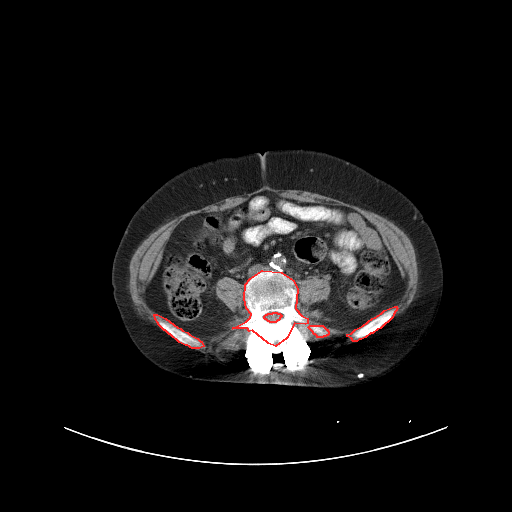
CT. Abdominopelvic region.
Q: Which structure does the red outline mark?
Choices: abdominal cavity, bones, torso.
A: red: bones.
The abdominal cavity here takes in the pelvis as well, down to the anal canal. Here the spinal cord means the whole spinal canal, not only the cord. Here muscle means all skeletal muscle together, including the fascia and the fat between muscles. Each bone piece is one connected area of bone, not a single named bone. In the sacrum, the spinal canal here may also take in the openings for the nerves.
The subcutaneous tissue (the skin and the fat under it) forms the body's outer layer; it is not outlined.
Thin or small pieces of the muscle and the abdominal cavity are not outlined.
Outlines:
bones 1: (262, 270) (281, 272) (293, 280) (297, 289) (295, 308) (301, 315) (307, 318) (307, 323) (305, 324) (294, 323) (286, 338) (275, 346) (268, 343) (252, 330) (249, 331) (247, 328) (232, 328) (246, 321) (250, 317) (251, 314) (246, 308) (244, 298) (245, 284) (250, 278) with a hole at (273, 312) (276, 312) (277, 313) (279, 313) (281, 315) (281, 316) (279, 318) (279, 319) (278, 320) (277, 320) (275, 322) (270, 322) (269, 321) (268, 321) (266, 319) (265, 319) (264, 318) (264, 316) (266, 314) (267, 314) (268, 313) (272, 313)
bones 2: (394, 306) (396, 306) (397, 308) (393, 314) (392, 317) (380, 328) (377, 329) (372, 333) (370, 333) (365, 337) (361, 339) (359, 339) (356, 341) (353, 341) (351, 338) (347, 336) (347, 334) (351, 333) (355, 329) (363, 325) (372, 318) (375, 317) (381, 313) (384, 310)
bones 3: (154, 314) (157, 314) (165, 318) (177, 327) (180, 328) (182, 330) (187, 332) (189, 334) (197, 338) (200, 341) (201, 341) (203, 346) (199, 348) (192, 348) (187, 345) (185, 345) (179, 342) (170, 334) (169, 334) (165, 330) (164, 330) (158, 324) (158, 323) (155, 319)
bones 4: (310, 325) (322, 325) (326, 329) (327, 329) (327, 330) (328, 331) (328, 334) (327, 335) (326, 335) (325, 336) (323, 336) (322, 337) (317, 337) (317, 336) (315, 334) (314, 334) (313, 333) (313, 332) (308, 327)
abdominal cavity: (263, 191) (357, 211) (377, 229) (405, 279) (401, 294) (351, 326) (310, 308) (328, 298) (328, 274) (308, 275) (297, 288) (289, 275) (262, 269) (243, 289) (228, 276) (216, 281) (216, 297) (235, 313) (216, 333) (189, 333) (156, 311) (146, 290) (178, 224)
spinal cord: (273, 312) (276, 312) (277, 313) (279, 313) (281, 315) (281, 316) (279, 318) (279, 319) (278, 320) (277, 320) (275, 322) (270, 322) (269, 321) (268, 321) (266, 319) (265, 319) (264, 318) (264, 316) (266, 314) (267, 314) (268, 313) (272, 313)
torso: (283, 148) (318, 150) (343, 157) (393, 184) (415, 203) (431, 227) (443, 266) (443, 292) (432, 325) (413, 352) (395, 368) (370, 381) (345, 387) (199, 381) (156, 368) (130, 341) (112, 296) (112, 260) (128, 221) (158, 187) (190, 166) (223, 156) (262, 154) (270, 149)
muscle 1: (313, 275) (331, 277) (330, 291) (326, 299) (315, 302) (309, 308) (322, 311) (337, 324) (359, 326) (346, 334) (352, 343) (338, 349) (314, 369) (303, 374) (257, 374) (194, 349) (204, 345) (191, 334) (216, 334) (224, 329) (224, 323) (236, 313) (216, 295) (215, 286) (221, 278) (231, 278) (243, 286) (245, 308) (250, 314) (246, 320) (231, 328) (252, 331) (275, 347) (287, 338) (294, 324) (308, 323) (308, 318) (297, 310) (296, 303) (299, 282) with a hole at (310, 325) (322, 325) (326, 329) (327, 329) (327, 330) (328, 331) (328, 334) (327, 335) (326, 335) (325, 336) (323, 336) (322, 337) (317, 337) (317, 336) (315, 334) (314, 334) (313, 333) (313, 332) (308, 327)
muscle 2: (264, 184) (277, 189) (299, 189) (329, 196) (377, 213) (399, 227) (414, 247) (418, 267) (418, 289) (405, 310) (390, 320) (398, 307) (396, 305) (388, 307) (402, 294) (406, 279) (378, 229) (361, 213) (343, 205) (298, 200) (263, 190) (232, 207) (195, 213) (177, 224) (163, 246) (157, 269) (145, 290) (147, 302) (161, 315) (154, 313) (153, 316) (163, 330) (141, 317) (128, 289) (129, 262) (141, 242) (151, 232) (177, 215) (227, 197) (253, 191)